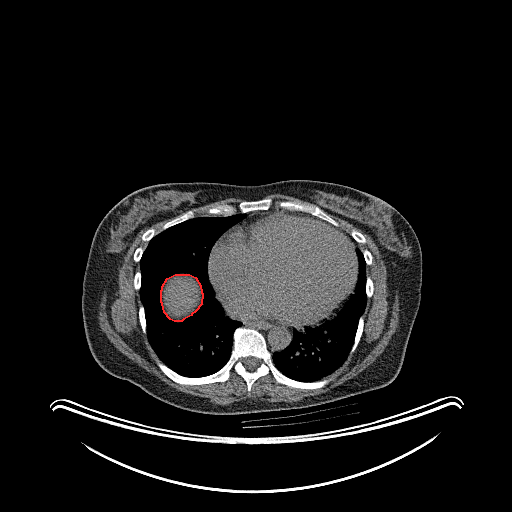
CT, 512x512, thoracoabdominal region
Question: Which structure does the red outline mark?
Answer: red: abdominal cavity.
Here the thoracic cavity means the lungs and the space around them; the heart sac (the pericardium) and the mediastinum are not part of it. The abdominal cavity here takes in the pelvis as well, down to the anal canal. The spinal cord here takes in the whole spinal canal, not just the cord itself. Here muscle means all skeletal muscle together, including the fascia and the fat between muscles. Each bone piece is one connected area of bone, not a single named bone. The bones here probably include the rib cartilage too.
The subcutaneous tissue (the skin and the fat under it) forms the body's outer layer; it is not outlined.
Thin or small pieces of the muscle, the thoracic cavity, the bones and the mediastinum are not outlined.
The abdominal cavity is outlined by (175, 274) (189, 274) (195, 277) (200, 285) (201, 292) (202, 293) (201, 304) (195, 311) (191, 314) (191, 315) (183, 319) (181, 321) (174, 321) (170, 319) (164, 312) (162, 303) (161, 302) (161, 290) (162, 289) (162, 286) (167, 278). The bones appear in 10 outlined pieces: piece 1: (241, 326) (255, 329) (263, 336) (273, 364) (285, 376) (302, 382) (331, 380) (323, 387) (303, 389) (277, 383) (269, 373) (260, 376) (248, 392) (245, 380) (232, 370) (229, 379) (223, 382) (175, 382) (158, 367) (157, 360) (182, 376) (213, 374) (228, 361) (233, 333), around a hole outlined by (249, 356) (251, 356) (252, 357) (255, 357) (257, 359) (258, 359) (259, 360) (259, 365) (254, 370) (248, 370) (244, 366) (244, 365) (243, 364) (243, 359) (244, 358) (245, 358) (246, 357) (248, 357); piece 2: (269, 197) (274, 200) (294, 201) (316, 205) (335, 220) (339, 224) (339, 226) (338, 227) (319, 217) (303, 211) (275, 207) (266, 210) (248, 211) (245, 213) (237, 212) (235, 214) (227, 216) (210, 215) (206, 211) (209, 208) (220, 204) (237, 204) (244, 200) (253, 201); piece 3: (188, 210) (192, 210) (194, 212) (194, 214) (195, 215) (194, 217) (192, 218) (190, 218) (189, 219) (187, 219) (184, 221) (182, 221) (174, 225) (172, 225) (161, 231) (161, 228) (162, 226) (165, 223) (175, 218) (177, 216) (182, 214) (184, 212); piece 4: (362, 315) (363, 316) (363, 320) (364, 321) (363, 322) (363, 330) (362, 331) (360, 339) (358, 342) (358, 344) (356, 348) (354, 350) (354, 351) (350, 355) (349, 355) (350, 351) (352, 348) (352, 346) (354, 343) (355, 335) (356, 334) (356, 331) (357, 330) (359, 319); piece 5: (353, 228) (356, 229) (358, 231) (361, 232) (363, 234) (363, 235) (364, 236) (364, 237) (366, 240) (366, 242) (364, 244) (362, 244) (361, 243) (358, 243) (357, 242) (356, 242) (355, 239) (352, 236) (351, 236) (350, 235) (350, 232) (351, 231) (351, 230); piece 6: (141, 305) (142, 305) (143, 306) (143, 309) (144, 310) (144, 315) (145, 316) (145, 324) (146, 325) (146, 332) (145, 333) (144, 333) (143, 332) (143, 331) (142, 330) (142, 328) (140, 325) (140, 322) (139, 321) (139, 316) (138, 315) (138, 310) (139, 309) (139, 307); piece 7: (149, 228) (154, 228) (155, 229) (155, 230) (156, 231) (157, 231) (158, 232) (159, 232) (158, 233) (157, 233) (155, 235) (154, 235) (147, 242) (146, 242) (145, 241) (143, 241) (141, 239) (141, 237) (142, 236) (142, 235) (144, 233) (144, 232) (146, 230) (147, 230); piece 8: (367, 276) (368, 276) (369, 277) (370, 277) (370, 278) (372, 280) (372, 281) (373, 282) (373, 293) (372, 294) (372, 295) (371, 296) (371, 297) (370, 297) (369, 298) (368, 297) (367, 297) (367, 295) (366, 294) (366, 280) (367, 279); piece 9: (139, 246) (141, 246) (144, 249) (143, 250) (143, 252) (142, 253) (142, 254) (141, 255) (141, 257) (140, 258) (140, 259) (139, 260) (139, 261) (138, 262) (136, 262) (135, 261) (134, 261) (134, 260) (133, 259) (133, 255) (134, 254) (134, 252) (135, 251) (135, 250); piece 10: (364, 249) (368, 249) (368, 250) (371, 253) (371, 254) (372, 255) (372, 262) (371, 263) (371, 264) (370, 265) (367, 265) (366, 264) (366, 262) (365, 261) (365, 258) (364, 257) (364, 255) (363, 254) (363, 252) (362, 251). The muscle appears in 2 outlined pieces: piece 1: (327, 213) (347, 221) (371, 238) (396, 288) (399, 304) (398, 326) (384, 350) (357, 375) (330, 390) (293, 402) (246, 398) (217, 404) (163, 382) (120, 352) (100, 328) (98, 311) (102, 297) (136, 236) (145, 228) (173, 218) (165, 222) (160, 231) (154, 227) (146, 229) (140, 237) (146, 246) (139, 245) (132, 255) (133, 261) (139, 264) (133, 276) (133, 287) (139, 292) (141, 302) (138, 321) (159, 359) (155, 361) (157, 367) (180, 385) (223, 383) (233, 371) (244, 380) (248, 393) (260, 377) (269, 374) (277, 384) (290, 388) (323, 388) (332, 380) (326, 377) (357, 348) (364, 330) (367, 298) (374, 293) (374, 282) (366, 273) (373, 255) (368, 248) (362, 250) (358, 245) (367, 242) (364, 234) (354, 227) (347, 233); piece 2: (227, 198) (239, 198) (243, 200) (241, 200) (237, 203) (220, 203) (214, 206) (211, 206) (205, 211) (206, 213) (209, 215) (206, 215) (205, 216) (196, 216) (195, 212) (192, 209) (191, 209) (196, 207) (203, 206) (209, 203) (212, 203) (216, 201) (226, 199). The torso is outlined by (288, 179) (332, 182) (361, 190) (394, 207) (413, 228) (422, 253) (421, 299) (403, 363) (395, 379) (379, 389) (310, 407) (217, 415) (173, 406) (131, 382) (106, 372) (96, 362) (88, 347) (81, 297) (92, 238) (107, 212) (128, 194) (155, 184) (218, 182) (260, 185). The pericardium is outlined by (263, 211) (299, 213) (319, 218) (339, 228) (352, 241) (358, 258) (355, 285) (346, 297) (328, 314) (303, 324) (290, 326) (267, 319) (253, 319) (234, 316) (226, 310) (218, 299) (216, 291) (210, 281) (208, 268) (212, 248) (228, 230) (238, 224) (241, 224) (249, 215). The thoracic cavity appears in 2 outlined pieces: piece 1: (237, 213) (245, 216) (216, 240) (209, 254) (207, 268) (214, 296) (225, 315) (239, 321) (241, 325) (234, 329) (230, 355) (218, 370) (197, 377) (182, 375) (158, 357) (148, 340) (145, 310) (139, 291) (142, 283) (139, 262) (148, 242) (160, 232) (195, 217) (227, 217); inner edge: (175, 274) (189, 274) (195, 277) (200, 285) (201, 292) (202, 293) (201, 304) (195, 311) (191, 314) (191, 315) (183, 319) (181, 321) (174, 321) (170, 319) (164, 312) (162, 303) (161, 302) (161, 290) (162, 289) (162, 286) (167, 278); piece 2: (345, 233) (354, 239) (362, 252) (366, 265) (366, 303) (364, 311) (358, 319) (353, 343) (343, 363) (324, 378) (313, 381) (291, 378) (277, 368) (272, 354) (284, 350) (290, 344) (294, 328) (299, 331) (303, 330) (320, 324) (339, 313) (355, 288) (359, 258) (353, 241). The spinal cord is outlined by (249, 356) (251, 356) (252, 357) (255, 357) (257, 359) (258, 359) (259, 360) (259, 365) (254, 370) (248, 370) (244, 366) (244, 365) (243, 364) (243, 359) (244, 358) (245, 358) (246, 357) (248, 357). The mediastinum appears in 2 outlined pieces: piece 1: (349, 294) (339, 312) (320, 323) (304, 327) (303, 329) (299, 330) (294, 327) (289, 344) (284, 349) (272, 353) (267, 347) (264, 336) (257, 329) (242, 326) (242, 323) (239, 320) (227, 316) (219, 302) (230, 315) (237, 318) (267, 320) (284, 326) (295, 327) (328, 315); piece 2: (254, 211) (262, 211) (257, 211) (256, 212) (253, 212) (252, 213) (249, 214) (246, 217) (246, 218) (241, 223) (238, 223) (237, 224) (234, 225) (236, 223) (237, 223) (241, 220) (242, 220) (246, 216) (246, 215) (245, 214) (246, 213) (247, 213) (248, 212) (253, 212).